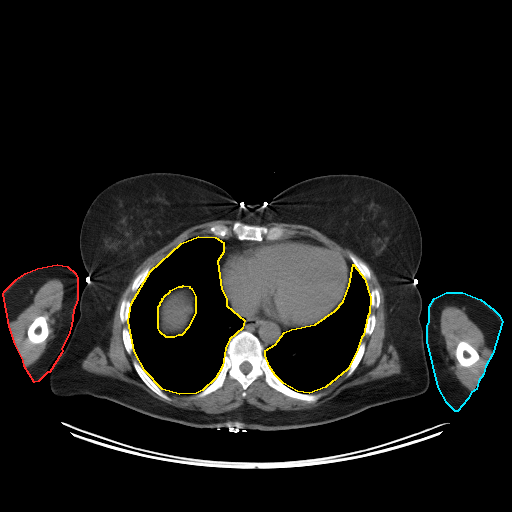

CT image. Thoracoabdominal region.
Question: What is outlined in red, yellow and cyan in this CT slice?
Answer: red: right arm; yellow: thoracic cavity; cyan: left arm.
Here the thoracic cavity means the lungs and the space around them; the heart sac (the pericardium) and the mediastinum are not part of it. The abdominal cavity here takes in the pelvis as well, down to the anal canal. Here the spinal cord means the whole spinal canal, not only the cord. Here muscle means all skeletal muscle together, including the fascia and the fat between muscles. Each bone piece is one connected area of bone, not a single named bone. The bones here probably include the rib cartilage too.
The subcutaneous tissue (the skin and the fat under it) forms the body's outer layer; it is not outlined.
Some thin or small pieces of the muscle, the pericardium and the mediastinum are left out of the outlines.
{"right_arm":[[[57,264],[67,266],[75,273],[77,278],[77,299],[73,310],[71,325],[68,335],[61,348],[62,351],[61,353],[49,372],[47,372],[38,381],[34,382],[24,366],[23,360],[15,344],[9,326],[3,294],[4,291],[16,279],[25,273],[37,268]]],"thoracic_cavity":[{"outer":[[198,236],[215,237],[223,242],[223,252],[217,261],[221,289],[226,298],[226,305],[244,320],[242,328],[229,339],[225,348],[222,366],[215,378],[202,390],[196,393],[179,394],[162,389],[145,371],[134,351],[128,321],[131,303],[150,271],[181,243]],"hole":[[183,285],[189,286],[189,287],[191,288],[195,296],[195,312],[188,327],[181,335],[178,335],[174,337],[166,337],[160,332],[158,328],[158,306],[160,304],[160,302],[162,300],[162,298],[163,298],[164,296],[170,291],[170,290],[178,286],[182,286]]},[[353,264],[364,278],[370,297],[369,313],[367,316],[363,335],[361,337],[356,352],[347,369],[325,387],[309,393],[297,391],[283,383],[275,375],[269,366],[265,355],[265,350],[275,344],[284,332],[291,329],[315,324],[335,310],[343,301],[349,285]]],"left_arm":[[[446,292],[462,292],[480,299],[493,309],[498,314],[502,321],[492,354],[485,366],[483,374],[478,381],[476,389],[471,392],[467,399],[457,411],[455,411],[447,403],[438,387],[427,341],[427,326],[429,321],[429,306],[434,298]]],"muscle":[[[220,219],[235,221],[231,225],[213,224],[208,229],[212,235],[190,237],[151,269],[146,266],[130,286],[130,290],[136,292],[133,300],[123,298],[120,302],[119,320],[122,324],[128,322],[128,327],[121,330],[122,342],[129,355],[134,352],[137,360],[132,361],[133,368],[148,388],[169,402],[172,399],[164,391],[179,395],[195,394],[192,398],[199,399],[221,388],[229,378],[240,384],[244,398],[247,388],[263,376],[269,387],[285,396],[313,403],[323,395],[315,392],[345,372],[345,376],[349,377],[357,368],[366,349],[362,337],[369,336],[376,325],[376,315],[370,313],[370,308],[380,306],[379,290],[376,287],[369,290],[366,283],[371,278],[370,269],[354,254],[350,253],[348,259],[337,249],[308,235],[284,236],[284,227],[257,225],[270,222],[312,227],[349,249],[370,267],[384,294],[384,341],[393,344],[401,365],[400,373],[348,387],[312,408],[266,411],[244,402],[228,411],[207,413],[173,406],[134,384],[83,369],[82,361],[95,346],[104,350],[108,348],[117,303],[135,270],[184,230]],{"outer":[[446,305],[462,305],[466,307],[476,320],[479,328],[483,333],[484,339],[487,346],[493,351],[485,366],[483,374],[478,381],[476,389],[474,391],[465,388],[454,377],[447,367],[440,349],[439,338],[438,337],[438,325],[440,323],[441,311],[443,307]],"hole":[[462,340],[470,344],[476,350],[476,351],[479,355],[479,359],[472,365],[470,366],[468,366],[467,367],[465,366],[462,366],[457,360],[456,358],[456,356],[455,355],[455,350],[456,349],[456,347],[458,343]]},{"outer":[[50,279],[59,279],[63,284],[64,293],[62,300],[62,306],[60,309],[61,310],[61,325],[58,333],[48,348],[44,350],[43,353],[35,362],[27,367],[25,367],[23,360],[15,344],[15,341],[9,326],[9,322],[12,321],[33,300],[38,289]],"hole":[[38,316],[44,316],[46,318],[46,321],[47,322],[47,324],[48,325],[48,335],[44,341],[43,341],[40,343],[32,343],[28,339],[28,337],[27,336],[27,330],[28,329],[28,327],[31,324],[31,323],[34,320],[34,319],[36,317],[37,317]]}],"abdominal_cavity":[[[183,285],[189,286],[189,287],[191,288],[195,296],[195,312],[188,327],[181,335],[178,335],[174,337],[166,337],[160,332],[158,328],[158,306],[160,304],[160,302],[162,300],[162,298],[163,298],[164,296],[170,291],[170,290],[178,286],[182,286]]],"mediastinum":[[[238,314],[245,317],[252,317],[253,318],[275,321],[284,329],[290,329],[284,331],[281,334],[279,339],[275,343],[268,346],[265,349],[263,344],[255,334],[249,330],[242,329],[244,326],[244,321],[245,320],[242,316]],[[230,236],[234,236],[238,240],[246,240],[247,241],[250,241],[244,241],[243,242],[237,242],[236,243],[233,243],[232,244],[230,244],[229,245],[228,245],[224,249],[224,251],[224,242],[221,239],[220,239],[219,238],[225,238],[226,237],[229,237]],[[227,300],[227,301],[230,304],[230,305],[231,306],[231,307],[237,313],[236,313],[228,305],[227,305]]],"torso":[[[150,172],[209,181],[238,206],[268,204],[287,187],[328,174],[364,175],[398,190],[422,237],[411,282],[422,300],[427,391],[332,422],[267,431],[198,428],[104,398],[55,395],[49,373],[69,342],[81,294],[92,279],[79,248],[84,216],[106,187]]],"spinal_cord":[[[245,361],[246,361],[247,362],[248,362],[251,365],[251,369],[247,373],[244,373],[240,369],[240,365],[243,362],[244,362]]],"bones":[{"outer":[[241,330],[249,331],[258,338],[264,348],[263,353],[268,366],[283,384],[300,393],[322,393],[322,395],[313,402],[292,398],[269,386],[262,375],[246,388],[244,397],[241,384],[237,380],[227,377],[221,387],[202,397],[193,398],[219,374],[228,343]],"hole":[[245,361],[246,361],[247,362],[248,362],[251,365],[251,369],[247,373],[244,373],[240,369],[240,365],[243,362],[244,362]]},[[236,221],[241,222],[244,224],[256,225],[257,226],[265,226],[266,227],[277,226],[284,228],[285,232],[283,237],[273,240],[238,239],[233,234],[225,237],[217,237],[213,235],[210,231],[209,229],[211,226],[218,224],[231,226]],[[38,316],[44,316],[46,318],[46,321],[47,322],[47,324],[48,325],[48,335],[44,341],[43,341],[40,343],[32,343],[28,339],[28,337],[27,336],[27,330],[28,329],[28,327],[31,324],[31,323],[34,320],[34,319],[36,317],[37,317]],[[462,340],[470,344],[476,350],[476,351],[479,355],[479,359],[472,365],[470,366],[468,366],[467,367],[465,366],[462,366],[457,360],[456,358],[456,356],[455,355],[455,350],[456,349],[456,347],[458,343]],[[134,360],[138,361],[138,362],[140,364],[144,371],[148,375],[148,376],[167,395],[168,395],[170,397],[171,400],[169,401],[168,400],[166,400],[162,398],[146,385],[146,384],[140,378],[134,368],[134,366],[133,365],[133,361]],[[361,341],[365,343],[365,349],[364,350],[363,355],[358,365],[356,367],[356,368],[353,371],[353,372],[349,376],[347,377],[346,376],[346,371],[348,369],[350,364],[352,362],[357,352],[357,350],[359,347],[359,345]],[[350,254],[352,254],[354,255],[358,259],[362,261],[367,266],[370,272],[370,278],[369,279],[366,280],[363,276],[363,275],[361,273],[361,272],[358,269],[358,268],[351,261],[351,260],[349,258],[349,255]],[[123,299],[127,299],[130,301],[130,307],[129,308],[129,313],[128,314],[128,320],[126,322],[125,322],[124,323],[122,323],[121,322],[121,321],[120,320],[120,314],[119,313],[120,312],[120,306],[121,305],[121,302]],[[148,266],[150,267],[150,270],[149,272],[147,274],[147,275],[145,277],[145,278],[143,280],[143,281],[141,283],[141,284],[139,286],[137,290],[136,291],[132,291],[131,290],[131,286],[133,283],[133,281],[134,279],[140,272],[141,272],[146,267]],[[124,327],[126,327],[128,328],[128,330],[129,331],[129,335],[130,336],[130,339],[131,340],[131,343],[132,344],[132,347],[133,348],[133,350],[130,354],[129,354],[126,351],[126,349],[125,348],[125,346],[123,342],[123,338],[122,337],[122,330]],[[371,313],[373,313],[375,315],[375,325],[374,326],[374,328],[373,329],[372,332],[369,335],[365,335],[364,334],[364,332],[365,331],[365,328],[366,327],[366,324],[367,323],[367,320],[368,319],[368,316],[369,315],[369,314],[370,314]],[[374,288],[376,288],[378,290],[378,292],[379,293],[379,306],[378,307],[377,307],[376,308],[374,308],[373,307],[371,307],[371,297],[370,296],[370,291],[372,289],[373,289]]],"pericardium":[[[286,239],[307,239],[321,244],[325,244],[337,250],[345,258],[349,269],[347,287],[339,305],[319,321],[309,325],[294,328],[284,328],[275,320],[245,316],[238,313],[232,307],[222,289],[220,276],[221,256],[228,246],[237,243],[251,241],[275,241]]]}